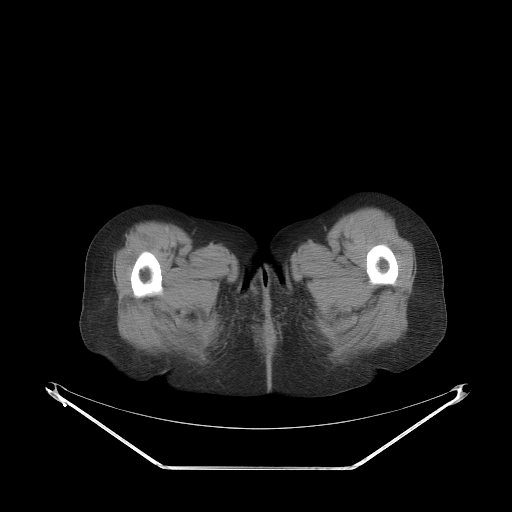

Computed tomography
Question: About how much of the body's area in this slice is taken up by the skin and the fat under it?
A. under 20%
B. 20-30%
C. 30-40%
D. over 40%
Answer: D. over 40%
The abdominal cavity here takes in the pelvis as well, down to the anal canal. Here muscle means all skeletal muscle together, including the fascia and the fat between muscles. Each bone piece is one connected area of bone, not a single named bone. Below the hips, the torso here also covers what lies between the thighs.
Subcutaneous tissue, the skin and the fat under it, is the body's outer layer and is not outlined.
The muscle appears in 3 outlined pieces: piece 1: 365 206; 384 209; 400 222; 412 238; 417 269; 412 293; 407 307; 408 328; 402 342; 397 345; 376 353; 352 368; 347 370; 336 370; 324 364; 323 343; 306 300; 291 277; 289 258; 293 249; 304 240; 320 235; 340 216; 354 209 with a hole at 377 244; 385 244; 388 246; 391 249; 396 258; 397 264; 398 265; 398 274; 394 285; 392 285; 391 284; 385 284; 384 285; 381 285; 380 284; 372 284; 369 281; 369 278; 366 271; 366 255; 367 254; 367 252; 374 245; 376 245; piece 2: 146 220; 175 224; 196 240; 218 241; 228 246; 238 257; 239 274; 229 291; 221 320; 212 339; 210 352; 213 362; 208 367; 201 368; 172 358; 147 354; 126 344; 119 337; 117 329; 117 294; 111 274; 112 254; 124 229; 138 221; inner edge: 143 251; 149 251; 151 252; 156 257; 157 260; 159 262; 160 268; 161 269; 161 275; 162 276; 162 280; 161 281; 162 292; 158 295; 154 295; 153 296; 135 297; 133 294; 133 291; 131 287; 130 275; 131 274; 133 265; 137 257; piece 3: 265 325; 274 325; 280 331; 280 333; 282 336; 281 346; 279 348; 275 355; 273 357; 271 357; 269 359; 267 359; 259 352; 257 347; 255 346; 255 342; 254 341; 255 340; 255 337; 256 336; 256 334; 257 333; 258 329; inner edge: 266 331; 270 331; 272 333; 273 333; 273 334; 274 335; 274 336; 273 337; 273 341; 272 342; 271 345; 270 345; 269 346; 268 346; 267 345; 264 345; 264 344; 263 343; 262 343; 262 342; 261 341; 262 340; 262 336. The abdominal cavity is outlined by 266 331; 270 331; 272 333; 273 333; 273 334; 274 335; 274 336; 273 337; 273 341; 272 342; 271 345; 270 345; 269 346; 268 346; 267 345; 264 345; 264 344; 263 343; 262 343; 262 342; 261 341; 262 340; 262 336. The torso is outlined by 272 237; 275 246; 284 255; 287 267; 287 280; 282 292; 273 308; 270 311; 266 320; 261 308; 251 294; 250 287; 248 283; 248 273; 250 264; 253 259; 256 249; 256 240; 259 245; 262 257; 265 260; 267 260; 268 259; 268 245. The bones appear in 2 outlined pieces: piece 1: 143 251; 149 251; 151 252; 156 257; 157 260; 159 262; 160 268; 161 269; 161 275; 162 276; 162 280; 161 281; 162 292; 158 295; 154 295; 153 296; 135 297; 133 294; 133 291; 131 287; 130 275; 131 274; 133 265; 137 257; piece 2: 377 244; 385 244; 388 246; 391 249; 396 258; 397 264; 398 265; 398 274; 394 285; 392 285; 391 284; 385 284; 384 285; 381 285; 380 284; 372 284; 369 281; 369 278; 366 271; 366 255; 367 254; 367 252; 374 245; 376 245. The left leg is outlined by 364 189; 383 191; 398 198; 413 209; 434 234; 443 265; 447 311; 445 337; 427 359; 402 372; 382 371; 373 382; 365 386; 315 398; 270 394; 271 346; 266 321; 288 280; 285 255; 276 246; 273 235; 282 227; 313 216; 342 197. The right leg is outlined by 150 201; 171 204; 196 216; 237 225; 254 237; 255 249; 248 268; 247 283; 267 328; 270 346; 268 395; 242 398; 186 393; 168 388; 160 377; 146 381; 130 380; 116 373; 85 348; 78 322; 84 262; 89 243; 99 228; 116 213.